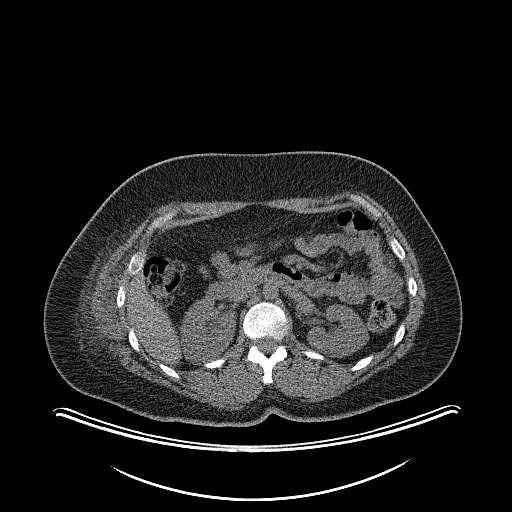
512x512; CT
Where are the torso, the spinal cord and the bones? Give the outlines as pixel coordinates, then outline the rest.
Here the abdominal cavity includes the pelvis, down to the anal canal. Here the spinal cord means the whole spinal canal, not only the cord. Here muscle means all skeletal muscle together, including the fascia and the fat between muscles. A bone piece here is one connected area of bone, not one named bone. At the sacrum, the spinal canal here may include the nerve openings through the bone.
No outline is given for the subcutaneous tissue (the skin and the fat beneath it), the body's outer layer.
{"torso":[[[291,151],[337,152],[369,160],[393,174],[411,194],[447,254],[461,296],[461,335],[445,371],[414,395],[355,415],[305,422],[272,413],[257,424],[241,427],[158,421],[70,386],[47,351],[44,302],[61,258],[106,198],[135,173],[170,158],[204,153]]],"spinal_cord":[[[267,336],[273,338],[277,342],[277,345],[276,346],[275,349],[271,353],[270,353],[269,354],[266,354],[265,353],[264,353],[262,351],[261,351],[258,348],[258,346],[256,344],[256,340],[257,339],[258,339],[259,338],[263,338],[264,337],[266,337]]],"bones":[{"outer":[[262,301],[270,302],[280,307],[284,311],[289,325],[287,333],[281,340],[287,351],[287,356],[273,366],[271,371],[272,382],[268,384],[264,384],[262,381],[262,367],[258,363],[246,361],[246,355],[252,342],[243,330],[243,320],[247,311],[250,307]],"hole":[[267,336],[273,338],[277,342],[277,345],[276,346],[275,349],[271,353],[270,353],[269,354],[266,354],[265,353],[264,353],[262,351],[261,351],[258,348],[258,346],[256,344],[256,340],[257,339],[258,339],[259,338],[263,338],[264,337],[266,337]]},[[141,249],[144,249],[146,251],[146,254],[145,255],[145,259],[144,260],[141,267],[135,273],[134,273],[132,275],[130,275],[127,272],[127,266],[128,265],[128,263],[130,260],[130,258],[133,254],[134,254],[136,252],[137,252]],[[172,210],[175,210],[176,212],[175,214],[167,222],[166,224],[160,227],[158,227],[157,228],[155,228],[151,230],[149,233],[147,232],[147,229],[148,228],[148,226],[150,224],[150,223],[153,219],[156,218],[158,216],[161,216]],[[350,194],[355,194],[356,195],[359,195],[361,197],[365,199],[381,213],[381,216],[377,218],[375,216],[374,216],[369,211],[368,211],[367,209],[366,209],[364,207],[360,205],[357,202],[350,199],[349,197]],[[392,237],[394,237],[399,242],[399,243],[401,245],[401,246],[403,248],[403,249],[405,252],[405,258],[403,260],[400,260],[399,259],[399,258],[394,253],[394,252],[392,250],[392,249],[390,247],[390,246],[388,243],[388,242],[389,241],[389,240]],[[371,354],[372,354],[373,355],[373,357],[372,358],[372,359],[370,361],[370,362],[365,367],[364,367],[363,368],[361,368],[358,370],[355,370],[354,371],[351,371],[350,370],[350,368],[360,359],[361,359],[362,358],[363,358],[368,355],[370,355]],[[131,327],[133,328],[134,333],[136,336],[136,338],[137,339],[137,341],[138,342],[138,344],[140,348],[140,350],[139,351],[136,351],[131,346],[129,342],[129,340],[128,339],[128,332],[129,331],[129,328]],[[121,285],[123,285],[124,286],[124,288],[125,289],[125,299],[124,300],[124,304],[121,307],[118,307],[117,306],[117,303],[116,302],[116,298],[117,297],[117,292],[118,291],[118,289],[119,288],[119,287]],[[401,323],[403,323],[404,325],[404,327],[405,328],[405,331],[404,332],[404,334],[403,335],[403,337],[402,339],[395,346],[394,346],[393,345],[393,343],[394,342],[394,339],[395,338],[395,334],[396,333],[396,331],[398,327]],[[411,276],[412,277],[413,277],[413,278],[415,280],[415,281],[416,282],[416,284],[417,285],[417,290],[416,291],[416,294],[414,296],[413,296],[412,295],[411,295],[409,293],[409,292],[408,291],[408,285],[407,284],[407,280],[408,279],[408,278]],[[220,358],[225,358],[225,362],[220,367],[215,367],[214,368],[207,368],[206,367],[205,367],[204,366],[204,364],[205,363],[207,363],[208,362],[210,362],[211,361],[212,361],[213,360],[216,360],[217,359],[219,359]],[[159,363],[162,363],[164,365],[165,365],[166,366],[168,366],[169,367],[170,367],[171,368],[172,368],[179,375],[179,376],[180,377],[179,378],[175,378],[172,376],[170,376],[169,375],[168,375],[167,374],[166,374],[163,371],[163,370],[159,366]],[[304,350],[312,350],[313,351],[315,351],[316,352],[317,352],[318,353],[319,353],[320,354],[321,354],[323,356],[324,356],[324,359],[315,359],[314,358],[311,358],[310,357],[308,357],[302,353],[302,351],[303,351]]],"abdominal_cavity":[[[252,205],[303,214],[356,207],[379,225],[403,267],[408,292],[405,316],[382,349],[353,364],[340,363],[300,342],[285,311],[262,300],[246,311],[235,343],[222,357],[176,371],[144,352],[126,319],[125,300],[130,280],[142,267],[152,241],[173,227]]],"muscle":[{"outer":[[346,190],[360,191],[367,194],[380,204],[389,213],[397,226],[403,233],[406,240],[413,250],[414,255],[417,260],[419,271],[424,283],[424,287],[426,291],[426,298],[424,301],[424,306],[423,307],[424,313],[420,318],[420,323],[415,332],[415,337],[413,341],[414,343],[410,350],[399,358],[395,363],[387,368],[379,371],[365,381],[352,387],[342,394],[322,401],[304,402],[298,398],[286,396],[276,389],[271,389],[270,390],[266,388],[256,399],[253,400],[250,403],[248,403],[245,407],[241,409],[227,410],[223,408],[219,409],[209,405],[205,402],[201,402],[191,399],[189,397],[179,394],[167,387],[151,382],[138,375],[136,375],[132,372],[126,370],[110,355],[107,340],[104,335],[97,329],[93,316],[93,290],[96,284],[96,280],[99,272],[105,263],[110,258],[111,255],[126,241],[132,232],[146,218],[150,212],[156,207],[159,207],[161,205],[166,204],[171,201],[177,201],[178,200],[180,201],[195,201],[196,202],[198,201],[224,201],[225,200],[266,201],[278,198],[332,195]],"holes":[[[252,205],[303,214],[356,207],[379,225],[388,241],[394,237],[405,252],[400,261],[405,277],[413,277],[417,285],[416,294],[408,294],[401,321],[405,328],[402,339],[394,346],[394,336],[372,354],[365,367],[351,371],[352,363],[303,354],[310,349],[296,338],[289,317],[287,333],[281,340],[287,356],[273,366],[272,382],[268,384],[262,381],[262,367],[246,361],[252,342],[242,325],[235,343],[222,356],[225,362],[220,367],[200,365],[177,370],[179,378],[166,374],[160,362],[141,348],[136,351],[128,339],[133,325],[126,319],[125,305],[118,307],[116,302],[119,287],[123,285],[126,290],[132,277],[127,272],[131,256],[141,249],[146,251],[157,236],[173,227]],[[172,210],[175,210],[176,212],[175,214],[167,222],[166,224],[160,227],[158,227],[157,228],[155,228],[151,230],[149,233],[147,232],[147,229],[148,228],[148,226],[150,224],[150,223],[153,219],[156,218],[158,216],[161,216]],[[350,194],[355,194],[356,195],[359,195],[361,197],[365,199],[381,213],[381,216],[377,218],[375,216],[374,216],[369,211],[368,211],[367,209],[366,209],[364,207],[360,205],[357,202],[350,199],[349,197]]]}]}